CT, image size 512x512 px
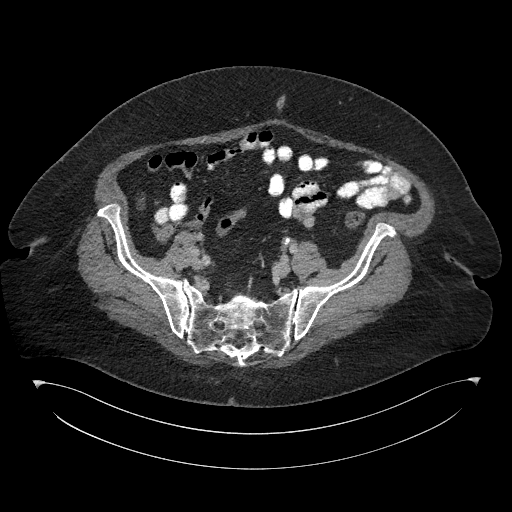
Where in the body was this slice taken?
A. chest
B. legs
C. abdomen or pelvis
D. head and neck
Answer: C. abdomen or pelvis
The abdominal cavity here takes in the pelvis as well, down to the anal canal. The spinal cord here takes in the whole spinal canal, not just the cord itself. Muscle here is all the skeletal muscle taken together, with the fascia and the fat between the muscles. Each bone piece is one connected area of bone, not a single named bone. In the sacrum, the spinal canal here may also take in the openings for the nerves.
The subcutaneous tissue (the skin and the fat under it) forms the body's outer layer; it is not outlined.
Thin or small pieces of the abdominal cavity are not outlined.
The torso is outlined by 233 65; 288 67; 350 81; 403 107; 441 140; 501 248; 499 270; 473 277; 493 308; 490 327; 477 345; 349 393; 279 407; 176 399; 76 360; 21 355; 0 264; 28 254; 28 247; 13 246; 7 234; 28 190; 121 103; 162 82. The bones are outlined by 110 203; 120 206; 140 266; 185 278; 212 304; 239 292; 269 303; 295 288; 330 285; 353 269; 378 222; 396 234; 281 357; 261 349; 241 367; 221 351; 196 354; 171 330; 160 297; 123 266; 110 224; 96 215; inner edges: 256 320; 260 320; 262 322; 262 323; 263 324; 263 328; 262 329; 256 329; 255 328; 255 326; 253 324; 253 323, then 215 321; 220 321; 221 322; 223 322; 224 323; 224 324; 223 325; 223 326; 224 327; 224 328; 223 329; 219 329; 217 327; 216 327; 214 325; 214 322, then 241 340; 242 341; 243 341; 244 342; 243 343; 243 344; 242 345; 241 346; 240 346; 239 347; 238 347; 237 346; 236 346; 236 345; 235 344; 234 343; 234 342; 234 341; 235 341; 236 341; 237 341; 238 341; 239 341; 240 341. The spinal cord appears in 5 outlined pieces: piece 1: 256 320; 260 320; 262 322; 262 323; 263 324; 263 328; 262 329; 256 329; 255 328; 255 326; 253 324; 253 323; piece 2: 215 321; 220 321; 221 322; 223 322; 224 323; 224 324; 223 325; 223 326; 224 327; 224 328; 223 329; 219 329; 217 327; 216 327; 214 325; 214 322; piece 3: 241 340; 242 341; 243 341; 244 342; 243 343; 243 344; 242 345; 241 346; 240 346; 239 347; 238 347; 237 346; 236 346; 236 345; 235 344; 234 343; 234 342; 234 341; 235 341; 236 341; 237 341; 238 341; 239 341; 240 341; piece 4: 259 338; 260 338; 261 339; 261 340; 260 341; 259 341; 258 340; 258 339; piece 5: 216 344; 217 344; 218 345; 218 346; 217 347; 216 347; 215 346; 215 345. The abdominal cavity is outlined by 273 125; 387 164; 413 184; 419 206; 410 213; 371 215; 353 253; 336 268; 314 242; 300 241; 291 267; 303 286; 269 302; 240 291; 208 302; 180 274; 194 249; 191 233; 179 231; 159 258; 136 247; 117 174; 159 148; 223 143. The muscle is outlined by 268 118; 283 118; 388 156; 427 184; 434 196; 436 212; 428 228; 407 247; 412 264; 407 291; 382 317; 291 365; 254 369; 244 367; 249 357; 261 350; 281 358; 292 343; 306 335; 320 308; 333 295; 357 284; 367 274; 382 240; 397 234; 392 224; 378 221; 352 269; 326 285; 304 285; 295 273; 292 258; 298 244; 314 243; 327 266; 339 268; 354 253; 371 216; 384 211; 415 212; 420 206; 418 190; 407 177; 381 160; 363 152; 316 142; 292 128; 275 124; 263 125; 223 142; 170 144; 135 159; 120 169; 115 179; 126 196; 128 226; 135 247; 142 255; 159 259; 179 232; 191 234; 193 249; 188 264; 179 272; 180 278; 156 275; 136 261; 121 220; 119 203; 107 203; 95 215; 109 224; 122 266; 148 284; 159 297; 170 330; 185 340; 196 355; 217 351; 235 359; 233 364; 240 367; 223 363; 211 367; 190 364; 151 338; 110 319; 93 304; 94 295; 77 270; 76 248; 94 205; 94 182; 109 162; 141 146; 228 130.